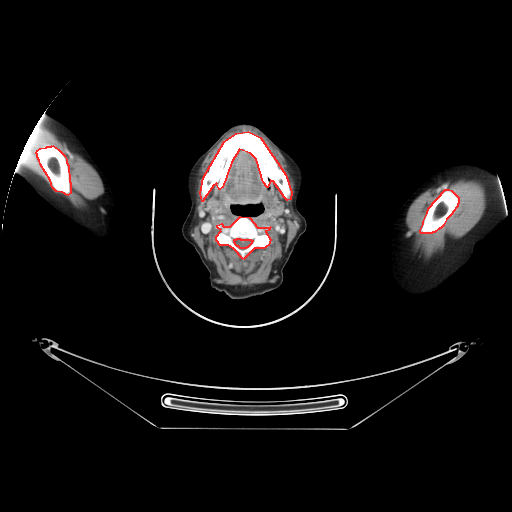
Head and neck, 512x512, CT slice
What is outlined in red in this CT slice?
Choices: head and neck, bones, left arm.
red: bones.
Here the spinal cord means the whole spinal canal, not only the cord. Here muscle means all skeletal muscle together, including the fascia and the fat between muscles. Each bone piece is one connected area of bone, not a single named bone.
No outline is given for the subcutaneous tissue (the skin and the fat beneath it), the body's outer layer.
The bones appear in 4 outlined pieces: piece 1: (248, 131) (260, 137) (285, 174) (291, 192) (290, 199) (287, 200) (284, 197) (273, 181) (270, 180) (267, 187) (263, 182) (256, 159) (250, 153) (239, 149) (231, 162) (222, 187) (219, 189) (216, 183) (213, 185) (202, 201) (200, 193) (203, 177) (224, 141) (236, 133); piece 2: (240, 216) (249, 217) (257, 227) (270, 227) (268, 230) (265, 231) (270, 239) (268, 245) (263, 248) (254, 248) (243, 259) (233, 248) (228, 245) (220, 245) (216, 240) (216, 236) (221, 230) (217, 227) (217, 225) (221, 223) (223, 226) (230, 226) with a hole at (237, 238) (239, 238) (240, 239) (250, 239) (251, 240) (252, 240) (252, 241) (251, 242) (251, 243) (247, 247) (246, 247) (245, 248) (240, 248) (238, 246) (237, 246) (235, 244) (235, 243) (234, 242) (234, 239) (236, 239); piece 3: (52, 145) (58, 149) (64, 155) (66, 159) (66, 162) (68, 165) (69, 181) (70, 182) (70, 193) (67, 195) (62, 192) (56, 191) (52, 187) (50, 180) (40, 164) (39, 160) (37, 157) (37, 154) (36, 153) (37, 150) (40, 148) (46, 147) (47, 146) (51, 146); piece 4: (445, 189) (449, 189) (451, 190) (458, 197) (458, 203) (457, 204) (457, 206) (452, 212) (452, 213) (446, 219) (443, 225) (440, 228) (439, 228) (434, 232) (432, 232) (431, 233) (421, 233) (420, 232) (420, 230) (423, 224) (423, 221) (427, 213) (428, 208). The spinal cord is outlined by (237, 238) (239, 238) (240, 239) (250, 239) (251, 240) (252, 240) (252, 241) (251, 242) (251, 243) (247, 247) (246, 247) (245, 248) (240, 248) (238, 246) (237, 246) (235, 244) (235, 243) (234, 242) (234, 239) (236, 239). The right arm is outlined by (44, 113) (49, 114) (57, 118) (67, 125) (76, 134) (95, 162) (99, 166) (108, 181) (115, 201) (114, 203) (114, 229) (111, 237) (104, 243) (99, 243) (92, 239) (83, 229) (72, 223) (54, 209) (40, 197) (16, 171) (17, 163) (24, 145) (34, 128) (34, 126). The head and neck is outlined by (236, 124) (256, 126) (299, 164) (303, 179) (297, 207) (305, 217) (307, 224) (306, 230) (300, 236) (283, 268) (281, 285) (263, 294) (244, 299) (232, 299) (211, 287) (208, 270) (193, 246) (182, 235) (182, 225) (190, 210) (186, 185) (188, 171) (203, 152) (226, 130), around a hole outlined by (249, 204) (251, 204) (252, 205) (257, 205) (258, 204) (260, 204) (262, 206) (262, 210) (261, 211) (261, 212) (258, 213) (257, 214) (257, 215) (239, 215) (236, 213) (234, 213) (234, 212) (233, 211) (232, 211) (232, 206) (245, 206) (246, 205) (248, 205). The left arm is outlined by (462, 161) (469, 161) (481, 164) (493, 170) (496, 173) (502, 187) (507, 217) (488, 239) (478, 244) (475, 247) (469, 261) (437, 289) (419, 297) (412, 297) (403, 294) (398, 291) (392, 283) (388, 271) (389, 236) (392, 227) (392, 220) (404, 202) (431, 174) (447, 165). The muscle appears in 3 outlined pieces: piece 1: (239, 128) (249, 128) (255, 130) (275, 147) (284, 156) (289, 165) (291, 170) (291, 174) (295, 183) (294, 193) (292, 198) (292, 207) (300, 219) (300, 227) (291, 241) (287, 251) (283, 254) (283, 256) (277, 266) (278, 278) (273, 283) (255, 284) (250, 286) (241, 286) (240, 285) (226, 285) (216, 282) (214, 279) (216, 276) (214, 269) (203, 256) (201, 250) (189, 233) (190, 225) (193, 219) (196, 206) (195, 187) (198, 169) (207, 154) (228, 133) with holes at (248, 131) (260, 137) (285, 174) (291, 192) (290, 199) (287, 200) (284, 197) (273, 181) (270, 180) (267, 187) (263, 182) (256, 159) (250, 153) (239, 149) (231, 162) (222, 187) (219, 189) (216, 183) (213, 185) (202, 201) (200, 193) (203, 177) (224, 141) (236, 133) and at (249, 204) (262, 206) (261, 212) (257, 215) (247, 216) (257, 227) (270, 227) (265, 231) (270, 240) (266, 247) (254, 248) (243, 259) (230, 246) (220, 245) (217, 242) (216, 236) (221, 230) (217, 225) (221, 223) (223, 226) (230, 226) (240, 216) (232, 211) (232, 206); piece 2: (460, 178) (479, 179) (483, 181) (483, 185) (488, 195) (488, 203) (484, 214) (466, 234) (440, 253) (429, 259) (421, 259) (417, 257) (411, 252) (409, 240) (404, 237) (407, 230) (405, 218) (408, 208) (412, 202) (428, 188) (435, 187) (440, 182) (448, 179) (456, 180) with a hole at (445, 189) (449, 189) (451, 190) (458, 197) (458, 203) (457, 204) (457, 206) (452, 212) (452, 213) (446, 219) (443, 225) (440, 228) (439, 228) (434, 232) (432, 232) (431, 233) (421, 233) (420, 232) (420, 230) (423, 224) (423, 221) (427, 213) (428, 208); piece 3: (35, 125) (42, 127) (63, 139) (75, 152) (78, 153) (83, 157) (95, 169) (99, 175) (104, 187) (104, 192) (103, 194) (96, 200) (91, 201) (89, 203) (89, 207) (87, 209) (80, 209) (75, 207) (67, 198) (54, 192) (43, 179) (23, 163) (18, 161) (24, 145), around a hole outlined by (52, 145) (58, 149) (64, 155) (66, 159) (66, 162) (68, 165) (69, 181) (70, 182) (70, 193) (67, 195) (62, 192) (56, 191) (52, 187) (50, 180) (40, 164) (39, 160) (37, 157) (37, 154) (36, 153) (37, 150) (40, 148) (46, 147) (47, 146) (51, 146).